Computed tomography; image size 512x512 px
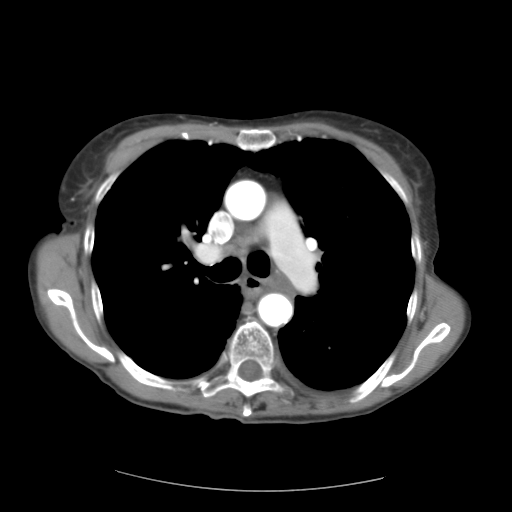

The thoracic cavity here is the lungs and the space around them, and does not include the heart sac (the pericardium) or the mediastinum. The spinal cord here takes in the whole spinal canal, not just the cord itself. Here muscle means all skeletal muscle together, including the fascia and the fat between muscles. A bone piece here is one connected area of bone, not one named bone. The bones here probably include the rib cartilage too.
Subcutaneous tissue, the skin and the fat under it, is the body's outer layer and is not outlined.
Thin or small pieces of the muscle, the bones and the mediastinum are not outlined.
{"torso":[[[306,109],[345,111],[392,127],[409,138],[433,168],[440,237],[434,269],[466,296],[472,310],[467,337],[436,373],[370,414],[325,425],[243,424],[134,404],[47,336],[32,309],[28,255],[40,236],[60,228],[58,187],[86,142],[142,114],[259,118]]],"thoracic_cavity":[[[307,136],[353,146],[405,207],[414,280],[392,351],[343,390],[286,375],[274,342],[296,297],[317,288],[316,260],[282,179],[246,163],[201,254],[241,296],[227,347],[190,378],[141,367],[108,329],[92,268],[98,207],[114,182],[171,139],[254,153]]],"bones":[{"outer":[[248,316],[272,339],[282,371],[275,377],[286,387],[284,393],[265,390],[247,398],[227,387],[205,397],[199,388],[189,384],[180,386],[186,390],[155,387],[136,380],[117,358],[120,348],[137,365],[155,375],[173,380],[194,378],[216,364],[236,327]],"hole":[[247,360],[253,360],[254,361],[255,361],[258,364],[258,365],[260,367],[260,368],[261,369],[261,376],[260,377],[259,377],[256,379],[251,380],[250,381],[249,380],[246,380],[245,379],[242,378],[239,375],[239,368],[240,367],[241,364]]},[[441,322],[445,322],[450,326],[448,334],[441,341],[424,346],[419,352],[414,366],[406,375],[389,386],[378,385],[356,402],[348,401],[352,390],[374,373],[393,351],[395,352],[395,358],[387,373],[389,375],[397,374],[405,369],[411,362],[416,347]],[[243,128],[267,128],[270,129],[278,138],[290,134],[293,136],[296,135],[292,139],[285,140],[257,151],[244,150],[236,145],[226,142],[216,142],[210,145],[203,139],[186,140],[174,138],[183,131],[189,132],[193,130],[203,130],[210,133],[237,134]],[[49,288],[61,289],[66,291],[70,295],[73,302],[73,307],[76,318],[81,330],[91,342],[96,345],[105,347],[109,350],[115,357],[114,362],[109,361],[105,357],[93,350],[81,338],[74,328],[68,309],[63,305],[55,304],[48,297],[47,290]],[[94,278],[99,289],[99,292],[100,293],[100,296],[101,297],[101,301],[102,302],[102,306],[103,307],[103,319],[102,320],[102,323],[101,324],[98,322],[96,318],[96,316],[93,309],[93,306],[92,305],[92,300],[91,299],[91,281],[92,279]],[[116,171],[119,171],[120,172],[119,175],[113,182],[110,188],[107,191],[107,192],[105,194],[105,195],[103,197],[101,201],[98,204],[96,204],[95,203],[94,199],[95,198],[95,195],[96,194],[96,192],[98,188],[100,186],[102,182],[110,174]],[[379,170],[383,170],[384,171],[387,172],[390,175],[391,175],[398,182],[398,183],[401,186],[401,187],[403,189],[403,190],[407,197],[407,200],[408,201],[408,203],[406,206],[404,204],[403,201],[397,194],[397,193],[390,185],[390,184],[380,173]],[[89,223],[93,223],[94,224],[94,238],[93,239],[93,248],[92,249],[92,252],[91,253],[91,255],[86,255],[85,254],[85,253],[84,252],[84,233],[85,232],[85,229],[86,228],[86,227],[87,226],[87,225]],[[412,232],[415,232],[418,235],[418,236],[419,237],[419,240],[420,241],[420,246],[421,247],[421,260],[420,261],[420,262],[418,265],[416,265],[415,264],[415,262],[414,261],[414,260],[412,257],[412,254],[411,253],[411,233]],[[414,288],[416,289],[417,291],[417,303],[416,304],[416,308],[415,309],[415,312],[414,313],[414,315],[410,323],[409,324],[407,324],[407,317],[406,316],[406,310],[407,309],[407,306],[408,305],[409,298]]],"spinal_cord":[[[247,360],[253,360],[254,361],[255,361],[258,364],[258,365],[260,367],[260,368],[261,369],[261,376],[260,377],[259,377],[256,379],[251,380],[250,381],[249,380],[246,380],[245,379],[242,378],[239,375],[239,368],[240,367],[241,364]]],"mediastinum":[[[246,164],[281,179],[286,197],[303,219],[304,235],[311,240],[315,260],[316,288],[310,295],[295,297],[293,316],[279,329],[277,343],[250,315],[237,325],[242,303],[239,287],[216,281],[213,266],[204,263],[202,256],[209,220],[220,206],[230,179]]],"muscle":[{"outer":[[189,121],[197,121],[206,123],[215,122],[228,126],[251,126],[252,127],[282,124],[293,121],[319,121],[361,136],[377,144],[389,153],[393,157],[400,167],[402,172],[405,175],[412,191],[414,205],[419,211],[418,222],[420,234],[421,237],[427,242],[427,253],[425,265],[426,271],[430,275],[433,276],[454,291],[461,298],[465,307],[465,321],[462,332],[452,348],[437,365],[422,377],[399,392],[393,394],[382,401],[362,409],[332,414],[280,415],[279,416],[261,416],[249,418],[248,417],[240,417],[237,415],[233,415],[224,412],[214,412],[207,410],[200,410],[185,407],[173,403],[151,401],[139,398],[120,388],[111,380],[103,370],[84,360],[65,346],[54,335],[49,328],[40,307],[40,303],[36,290],[36,262],[35,261],[36,260],[36,254],[39,246],[42,242],[50,237],[59,235],[64,232],[77,231],[82,226],[83,221],[86,218],[87,214],[85,209],[90,202],[93,195],[92,193],[93,188],[103,172],[106,157],[109,152],[124,137],[139,130],[153,126],[157,126],[162,124],[183,123]],"holes":[[[243,128],[347,143],[403,189],[421,260],[414,265],[415,312],[392,350],[387,373],[405,369],[437,324],[445,322],[450,330],[424,346],[411,370],[391,385],[349,402],[353,387],[315,391],[283,370],[275,377],[284,393],[265,390],[247,398],[227,387],[205,397],[189,384],[170,390],[141,383],[117,358],[120,347],[93,309],[92,256],[84,252],[85,229],[98,213],[98,188],[110,174],[183,131],[237,134]],[[49,288],[61,289],[66,291],[70,295],[73,302],[73,307],[76,318],[81,330],[91,342],[96,345],[105,347],[109,350],[115,357],[114,362],[109,361],[105,357],[93,350],[81,338],[74,328],[68,309],[63,305],[55,304],[48,297],[47,290]],[[247,402],[249,404],[249,405],[250,406],[250,407],[251,408],[251,413],[250,414],[250,415],[249,415],[248,416],[244,416],[242,414],[242,410],[243,409],[243,405],[245,403],[246,403]]]}]}